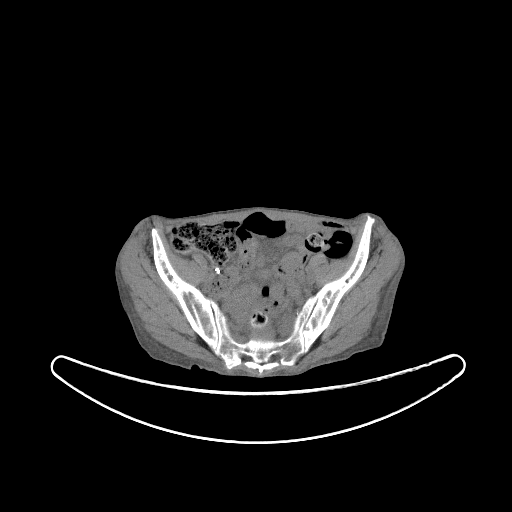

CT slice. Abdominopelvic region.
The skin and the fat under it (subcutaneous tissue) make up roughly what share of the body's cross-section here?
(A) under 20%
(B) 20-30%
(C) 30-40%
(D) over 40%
(A) under 20%
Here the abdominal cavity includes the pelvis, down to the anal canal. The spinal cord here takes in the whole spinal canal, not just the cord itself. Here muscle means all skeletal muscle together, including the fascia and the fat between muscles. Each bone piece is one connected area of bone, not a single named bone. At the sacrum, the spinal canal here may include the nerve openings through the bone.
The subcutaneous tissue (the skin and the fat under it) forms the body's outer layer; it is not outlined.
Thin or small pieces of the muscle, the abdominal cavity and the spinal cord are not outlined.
The torso is outlined by (247, 206) (300, 209) (344, 218) (363, 211) (381, 216) (399, 239) (405, 254) (405, 268) (381, 346) (315, 367) (301, 375) (274, 379) (224, 377) (196, 365) (186, 369) (168, 364) (146, 353) (122, 309) (114, 277) (116, 256) (134, 225) (150, 214) (181, 217). The abdominal cavity is outlined by (256, 211) (307, 223) (336, 222) (354, 234) (346, 257) (329, 262) (317, 253) (309, 260) (305, 271) (318, 289) (304, 301) (283, 337) (250, 336) (232, 325) (219, 304) (202, 292) (209, 269) (205, 256) (195, 252) (191, 259) (184, 257) (166, 234) (172, 225) (216, 224). The bones are outlined by (367, 215) (375, 221) (365, 267) (339, 301) (328, 326) (293, 365) (278, 365) (260, 375) (257, 369) (243, 364) (226, 368) (224, 361) (193, 330) (153, 260) (151, 229) (156, 228) (172, 267) (181, 278) (218, 304) (238, 341) (250, 337) (284, 338) (305, 301) (350, 266). The spinal cord is outlined by (276, 356) (277, 356) (278, 357) (279, 358) (278, 359) (278, 360) (277, 360) (276, 360) (275, 359) (275, 358) (275, 357). The muscle appears in 3 outlined pieces: piece 1: (261, 209) (303, 213) (338, 221) (353, 221) (366, 215) (354, 256) (346, 270) (340, 276) (325, 282) (318, 288) (316, 282) (307, 273) (306, 267) (317, 254) (325, 256) (329, 263) (346, 258) (355, 246) (355, 234) (348, 227) (331, 220) (307, 222) (293, 218) (274, 217) (256, 210) (238, 219) (225, 219) (216, 223) (190, 221) (167, 227) (165, 232) (167, 239) (171, 247) (181, 256) (190, 260) (195, 253) (204, 256) (208, 269) (207, 280) (201, 290) (179, 275) (168, 257) (157, 228) (153, 226) (150, 229) (150, 238) (154, 267) (159, 278) (175, 297) (192, 330) (223, 361) (227, 370) (243, 365) (257, 370) (259, 374) (220, 370) (170, 349) (155, 340) (141, 325) (119, 268) (122, 252) (139, 226) (153, 218) (181, 220); piece 2: (376, 218) (397, 244) (401, 259) (398, 269) (384, 287) (377, 313) (368, 333) (351, 347) (322, 359) (300, 371) (281, 371) (261, 375) (265, 370) (271, 370) (278, 366) (293, 366) (298, 358) (310, 349) (329, 326) (340, 301) (357, 282) (366, 267) (370, 255) (371, 236); piece 3: (230, 324) (232, 326) (235, 326) (236, 327) (241, 329) (241, 330) (242, 331) (243, 330) (243, 331) (244, 332) (245, 332) (249, 336) (247, 338) (247, 339) (246, 340) (244, 340) (243, 341) (238, 340) (234, 336) (234, 335) (232, 332) (232, 330) (230, 327).